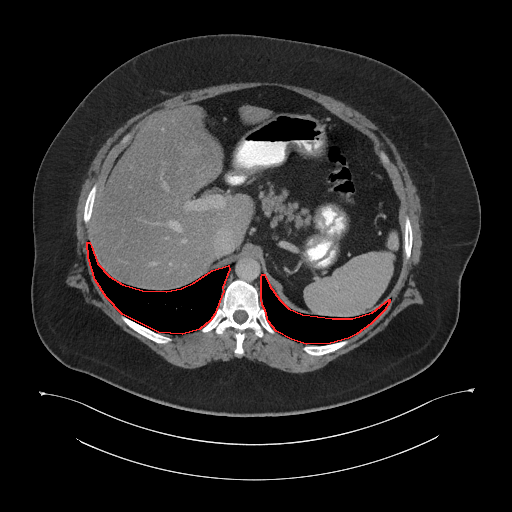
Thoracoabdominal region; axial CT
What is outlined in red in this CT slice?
red: thoracic cavity.
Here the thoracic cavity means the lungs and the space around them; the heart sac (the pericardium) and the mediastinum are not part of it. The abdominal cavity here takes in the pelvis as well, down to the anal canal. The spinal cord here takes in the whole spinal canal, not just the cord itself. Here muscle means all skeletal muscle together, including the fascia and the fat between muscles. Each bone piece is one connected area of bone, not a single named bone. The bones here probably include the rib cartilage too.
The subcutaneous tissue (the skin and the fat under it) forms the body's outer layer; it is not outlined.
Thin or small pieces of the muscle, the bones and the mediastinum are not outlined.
The thoracic cavity appears in 2 outlined pieces: piece 1: 87,242 89,242 91,246 97,263 109,276 122,284 142,290 166,291 181,288 194,282 212,270 228,265 229,269 222,287 223,291 214,314 210,320 199,329 182,334 158,332 122,314 106,297 95,280 88,257; piece 2: 262,274 264,274 269,285 279,299 288,308 302,314 332,318 352,318 372,312 389,299 389,302 384,310 371,323 356,334 348,338 330,343 306,344 291,339 276,331 268,321 265,310 262,305 261,298 261,276. The bones appear in 5 outlined pieces: piece 1: 236,279 243,280 257,289 265,317 276,332 273,334 265,331 263,336 259,337 252,329 246,329 242,342 244,353 241,356 234,353 236,331 232,327 226,328 220,334 213,329 206,332 200,331 215,314 224,289; inner edge: 238,310 241,310 242,311 245,311 246,312 246,313 247,314 247,318 243,322 242,322 241,323 239,323 238,322 237,322 234,319 234,317 233,316 233,315 234,314 234,313 236,311 237,311; piece 2: 121,314 122,315 124,315 131,320 133,320 135,322 155,332 161,333 162,334 164,334 171,337 172,340 164,344 156,343 154,341 147,338 145,336 140,334 138,332 131,328 123,321 123,320 121,318; piece 3: 346,339 348,339 349,340 347,344 344,345 342,347 332,352 329,352 322,355 311,355 310,354 308,354 305,351 304,351 302,348 305,345 325,345 326,344 330,344 331,343 338,342 339,341 345,340; piece 4: 405,216 408,216 408,217 410,220 410,223 411,224 411,228 412,229 412,247 411,248 411,254 410,255 410,257 409,258 409,259 408,259 406,261 404,261 404,248 403,247 403,246 404,245 404,219 405,218; piece 5: 96,183 98,186 97,187 97,191 96,192 95,199 93,203 93,207 91,212 91,216 89,219 88,223 86,224 83,220 83,211 84,210 84,206 85,205 85,202 86,201 86,199 90,189 92,186. The abdominal cavity is outlined by 260,86 307,97 341,113 378,140 379,158 394,173 403,197 403,256 389,298 372,311 352,317 296,311 280,299 254,256 226,263 181,287 152,290 114,279 94,255 88,227 100,180 111,155 137,126 162,108. The spinal cord is outlined by 238,310 241,310 242,311 245,311 246,312 246,313 247,314 247,318 243,322 242,322 241,323 239,323 238,322 237,322 234,319 234,317 233,316 233,315 234,314 234,313 236,311 237,311. The mediastinum is outlined by 247,257 254,257 258,262 259,265 263,268 263,273 262,273 260,276 260,295 260,293 258,289 254,285 240,278 236,278 232,280 229,282 223,289 226,278 229,273 229,270 230,269 230,266 229,265 236,263. The torso is outlined by 218,33 292,39 369,56 415,80 448,116 475,181 481,226 461,278 455,328 438,357 415,376 359,400 317,411 279,416 213,415 157,403 71,369 42,343 31,309 32,196 47,148 86,94 120,64 169,41. The muscle is outlined by 252,81 276,81 309,88 340,100 365,115 387,135 397,148 402,160 407,167 412,181 417,189 417,193 419,196 421,204 421,213 420,214 421,219 420,228 422,232 421,255 419,262 413,269 413,272 416,287 419,290 423,298 424,301 423,303 421,304 411,304 407,306 396,315 384,329 367,341 348,352 338,356 323,367 309,372 304,372 303,373 285,372 277,368 271,367 262,362 251,361 244,357 241,358 236,357 232,358 228,361 222,361 221,360 212,361 203,366 196,368 183,368 179,366 176,366 164,359 143,342 124,331 100,308 93,304 87,303 84,299 82,292 78,288 69,286 65,282 65,279 72,265 77,259 77,253 76,252 77,239 75,234 76,231 75,213 81,186 86,177 86,173 90,163 95,156 97,151 107,138 117,128 134,115 183,91 199,89 212,85 218,85 224,83 251,82, around a hole outlined by 260,86 277,86 307,97 377,138 403,197 403,218 410,220 410,257 406,261 402,257 384,310 332,352 311,355 303,350 305,343 277,331 265,331 259,337 248,328 242,342 244,353 237,356 232,327 220,334 213,329 168,334 171,341 156,343 123,321 95,280 87,251 89,224 83,220 88,193 94,184 99,185 121,140 131,137 156,110.